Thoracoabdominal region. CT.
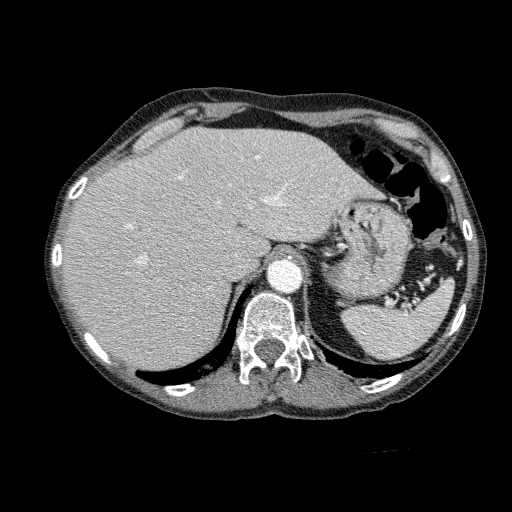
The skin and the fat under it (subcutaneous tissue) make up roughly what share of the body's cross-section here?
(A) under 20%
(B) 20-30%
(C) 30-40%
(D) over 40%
Answer: (A) under 20%
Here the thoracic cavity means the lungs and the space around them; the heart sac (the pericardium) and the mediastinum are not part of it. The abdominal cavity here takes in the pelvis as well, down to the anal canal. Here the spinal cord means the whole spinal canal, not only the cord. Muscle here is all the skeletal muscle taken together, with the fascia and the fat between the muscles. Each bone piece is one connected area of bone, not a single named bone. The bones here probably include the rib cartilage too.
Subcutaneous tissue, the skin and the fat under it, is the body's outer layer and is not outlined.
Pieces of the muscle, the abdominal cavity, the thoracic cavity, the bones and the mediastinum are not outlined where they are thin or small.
abdominal cavity: 248,108 311,127 374,125 446,186 466,245 466,279 449,325 427,353 380,365 313,343 305,333 302,273 284,259 241,292 218,345 183,367 133,369 114,361 86,330 60,267 74,200 106,165 185,122 214,122
spinal cord: 270,339 276,339 277,340 279,340 284,345 284,349 282,351 282,352 279,355 279,356 277,358 276,358 275,360 271,364 261,359 260,357 255,352 255,350 254,349 255,346 259,341 261,340 269,340
torso: 208,86 279,95 349,92 368,96 417,114 448,148 485,236 483,299 475,326 460,351 409,398 381,410 331,420 275,414 235,421 192,419 118,389 70,341 48,293 43,269 44,242 61,186 140,106 170,91
muscle: 194,101 245,101 284,111 359,107 414,122 372,111 373,124 311,126 255,107 214,121 185,121 199,110 191,107 146,130 132,143 130,153 89,179 81,175 68,191 67,199 73,203 61,243 51,248 50,261 60,268 65,294 85,328 82,336 91,350 108,365 114,363 111,359 162,385 169,396 193,392 196,386 191,383 215,370 235,348 238,380 244,385 250,382 254,368 269,374 287,368 296,383 302,376 303,360 314,360 315,351 333,369 358,379 375,379 358,386 364,393 378,393 397,384 404,370 419,362 448,326 446,337 460,327 467,312 467,303 460,302 467,279 466,242 472,240 473,231 467,218 460,223 447,187 452,176 426,133 456,175 479,246 471,307 459,335 435,364 392,393 358,405 300,407 274,401 271,393 266,397 269,402 253,408 202,412 149,396 88,352 67,318 49,266 66,192 89,166 144,124 171,107
thoracic cavity 1: 248,286 249,294 243,303 239,324 235,329 235,336 230,352 224,361 215,369 191,382 163,385 151,382 136,374 136,370 144,372 166,372 180,369 192,364 215,349 219,345 228,329 228,325 236,302 242,292
thoracic cavity 2: 315,342 322,347 344,358 362,364 380,366 392,365 412,360 420,356 423,357 410,367 382,378 376,379 367,377 358,378 338,370 334,365 326,361 323,355 321,355 319,352 315,350 314,351 313,349
mediastinum: 279,260 284,260 296,266 301,273 302,307 305,317 304,332 301,331 296,324 294,309 289,302 281,295 271,291 264,290 261,292 255,293 245,302 244,305 245,301 250,294 249,285 252,281 263,273 270,264
bones 1: 264,291 281,296 288,302 293,309 296,326 308,335 313,344 315,357 302,360 301,376 296,382 292,380 290,370 283,366 273,373 254,367 249,372 247,384 239,380 239,351 236,347 231,350 236,329 246,302 with a hole at 270,339 276,339 277,340 279,340 284,345 284,349 282,351 282,352 279,355 279,356 277,358 276,358 275,360 271,364 261,359 260,357 255,352 255,350 254,349 255,346 259,341 261,340 269,340
bones 2: 372,112 379,113 395,121 411,122 416,124 425,133 427,137 433,142 437,148 437,151 443,158 451,176 451,180 447,185 435,179 419,156 397,145 388,135 378,129 374,124 372,116 370,114
bones 3: 191,108 196,108 198,110 197,112 190,115 187,115 184,118 184,123 180,127 173,131 166,133 165,135 156,139 147,147 145,147 139,151 135,152 132,150 133,143 146,131 168,118 176,115 180,115 186,110
bones 4: 402,371 404,372 404,375 397,383 381,391 379,391 378,392 375,392 374,393 367,393 366,392 362,391 359,388 359,386 360,385 367,384 377,379 382,379 385,377 393,375 396,373 398,373
bones 5: 85,331 87,331 89,332 89,333 94,338 94,339 101,347 101,348 108,355 110,360 113,363 112,364 108,364 106,362 102,360 92,350 92,349 87,344 83,336 83,334
bones 6: 185,383 190,383 192,385 193,385 194,386 195,386 195,389 193,391 192,391 191,392 189,392 188,393 187,393 186,394 185,394 184,395 169,395 163,389 163,386 164,385 174,385 175,384 184,384
bones 7: 462,302 464,302 466,303 466,312 465,313 465,316 461,324 459,326 459,327 451,335 449,336 446,336 446,333 449,330 450,328 450,325 451,324 451,322 456,313 456,311 458,307
bones 8: 83,175 85,175 88,178 88,180 87,181 87,182 85,184 85,185 84,186 82,191 79,194 79,195 75,199 68,199 68,194 69,193 69,191 70,190 71,187 73,185 73,184 81,176 82,176